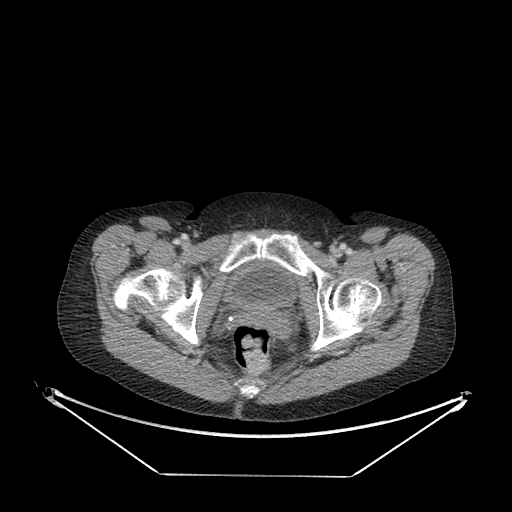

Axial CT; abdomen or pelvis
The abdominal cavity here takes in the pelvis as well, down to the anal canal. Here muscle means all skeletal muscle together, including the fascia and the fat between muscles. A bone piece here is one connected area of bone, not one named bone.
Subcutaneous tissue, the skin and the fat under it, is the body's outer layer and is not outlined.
Outlined structures:
torso: (242, 191) (289, 193) (317, 201) (344, 217) (354, 210) (371, 210) (428, 228) (446, 252) (452, 274) (456, 339) (446, 364) (362, 406) (286, 423) (186, 413) (142, 398) (81, 366) (66, 349) (56, 322) (58, 292) (80, 232) (115, 208) (164, 200) (185, 200) (200, 208)
abdominal cavity: (255, 259) (266, 259) (276, 262) (293, 273) (298, 289) (299, 313) (301, 315) (301, 337) (296, 351) (285, 360) (269, 369) (261, 377) (246, 377) (232, 372) (219, 351) (218, 322) (215, 313) (218, 309) (223, 293) (222, 292) (225, 288) (230, 272) (240, 265)
muscle: (144, 215) (165, 218) (173, 230) (180, 232) (195, 244) (212, 236) (237, 230) (272, 228) (293, 231) (317, 249) (328, 254) (341, 255) (350, 252) (360, 234) (369, 227) (397, 227) (411, 233) (432, 253) (435, 269) (434, 281) (420, 314) (419, 330) (410, 356) (401, 365) (383, 374) (348, 384) (328, 393) (283, 404) (257, 404) (252, 400) (242, 404) (235, 400) (212, 402) (140, 372) (115, 358) (102, 344) (90, 258) (94, 239) (108, 226) (127, 217); inner edges: (233, 233) (241, 238) (249, 233) (260, 238) (295, 234) (307, 256) (337, 282) (349, 277) (369, 280) (382, 295) (371, 322) (312, 352) (319, 330) (317, 282) (313, 272) (294, 273) (301, 315) (296, 351) (261, 377) (235, 374) (219, 351) (215, 314) (230, 273) (219, 266), then (161, 267) (181, 274) (188, 294) (191, 291) (193, 278) (199, 275) (202, 279) (203, 293) (195, 320) (195, 330) (199, 339) (198, 346) (174, 331) (160, 316) (161, 312) (155, 311) (143, 297) (130, 295) (126, 310) (121, 310) (114, 304) (113, 291) (125, 276) (135, 276), then (240, 378) (242, 378) (246, 381) (262, 381) (264, 382) (265, 384) (264, 386) (264, 388) (263, 390) (260, 391) (254, 397) (250, 399) (249, 398) (247, 398) (245, 396) (242, 395) (240, 393) (239, 388) (237, 386) (235, 385) (233, 385) (233, 383) (234, 381)
bones 1: (233, 233) (241, 238) (249, 233) (260, 238) (273, 233) (295, 234) (307, 256) (331, 273) (337, 282) (349, 277) (369, 280) (382, 295) (371, 322) (362, 331) (312, 352) (310, 346) (319, 330) (314, 273) (299, 275) (266, 258) (246, 261) (229, 272) (220, 271)
bones 2: (161, 267) (181, 274) (188, 294) (191, 291) (193, 278) (199, 275) (202, 279) (203, 293) (195, 320) (195, 330) (199, 339) (198, 346) (174, 331) (160, 316) (161, 312) (155, 311) (143, 297) (130, 295) (126, 310) (121, 310) (114, 304) (113, 291) (125, 276) (135, 276)
bones 3: (240, 378) (242, 378) (246, 381) (262, 381) (264, 382) (265, 384) (264, 386) (264, 388) (263, 390) (260, 391) (254, 397) (250, 399) (249, 398) (247, 398) (245, 396) (242, 395) (240, 393) (239, 388) (237, 386) (235, 385) (233, 385) (233, 383) (234, 381)